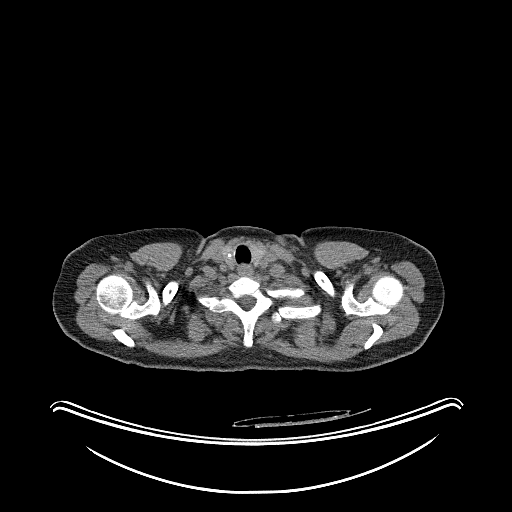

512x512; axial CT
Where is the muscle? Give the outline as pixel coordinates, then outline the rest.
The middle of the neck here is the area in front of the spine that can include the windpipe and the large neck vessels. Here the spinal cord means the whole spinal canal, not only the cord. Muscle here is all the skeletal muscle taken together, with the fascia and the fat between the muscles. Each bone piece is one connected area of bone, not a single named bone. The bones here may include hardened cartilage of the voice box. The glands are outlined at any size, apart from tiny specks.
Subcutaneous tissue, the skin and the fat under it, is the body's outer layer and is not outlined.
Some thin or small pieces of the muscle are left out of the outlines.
The muscle is outlined by (239, 235) (304, 254) (319, 241) (349, 241) (385, 252) (387, 263) (412, 262) (425, 280) (416, 330) (374, 345) (384, 330) (372, 321) (364, 350) (330, 363) (252, 347) (275, 300) (306, 292) (262, 287) (250, 276) (278, 259) (243, 239) (213, 258) (239, 276) (227, 292) (195, 298) (213, 313) (234, 314) (246, 348) (173, 358) (137, 347) (124, 327) (110, 331) (119, 342) (89, 336) (74, 319) (73, 297) (88, 264) (163, 241) (195, 258) (209, 241), around holes outlined by (108, 274) (122, 276) (130, 284) (133, 299) (139, 305) (148, 299) (145, 287) (147, 280) (151, 282) (160, 298) (163, 288) (169, 281) (177, 280) (178, 288) (172, 299) (166, 305) (162, 305) (156, 315) (148, 314) (130, 319) (109, 314) (97, 303) (96, 285) (101, 278) and by (386, 274) (394, 275) (405, 286) (404, 294) (397, 305) (385, 314) (376, 314) (371, 316) (358, 316) (354, 314) (346, 315) (341, 305) (341, 296) (343, 294) (346, 281) (352, 279) (354, 280) (352, 291) (353, 295) (357, 301) (364, 302) (371, 294) (374, 283) (381, 276) and by (314, 304) (319, 304) (321, 306) (321, 311) (314, 317) (311, 317) (310, 318) (295, 318) (294, 319) (291, 319) (290, 318) (282, 318) (281, 320) (277, 323) (272, 322) (270, 318) (271, 313) (276, 309) (277, 306) (284, 306) (285, 305) (293, 305) (294, 306) (310, 306) and by (317, 269) (318, 269) (319, 270) (321, 270) (328, 277) (328, 278) (332, 283) (332, 284) (334, 287) (334, 289) (335, 290) (335, 295) (333, 297) (332, 296) (329, 295) (317, 283) (317, 282) (315, 280) (315, 279) (313, 276) (313, 272) (315, 270) (316, 270). The middle of the neck is outlined by (243, 240) (250, 243) (250, 253) (255, 267) (260, 265) (265, 254) (268, 254) (277, 260) (268, 265) (262, 271) (258, 271) (249, 276) (240, 276) (234, 273) (226, 273) (222, 271) (214, 261) (216, 254) (220, 254) (227, 267) (233, 270) (234, 257) (231, 246) (236, 242). The spinal cord is outlined by (245, 295) (247, 295) (248, 296) (251, 296) (252, 297) (253, 297) (255, 299) (255, 303) (249, 309) (248, 309) (247, 310) (246, 310) (245, 309) (242, 308) (240, 306) (240, 305) (238, 303) (238, 302) (237, 301) (237, 299) (238, 299) (239, 298) (240, 298). The torso is outlined by (230, 226) (255, 226) (296, 235) (316, 226) (367, 228) (364, 275) (374, 298) (394, 310) (437, 323) (425, 342) (413, 353) (376, 367) (350, 372) (314, 369) (221, 372) (148, 368) (126, 364) (86, 349) (82, 347) (130, 305) (137, 273) (130, 231) (184, 227) (207, 236). The left arm is outlined by (367, 229) (386, 230) (387, 231) (399, 233) (421, 244) (432, 253) (435, 258) (444, 286) (444, 303) (443, 304) (443, 309) (438, 321) (434, 321) (427, 318) (424, 318) (417, 315) (414, 315) (407, 312) (394, 309) (380, 302) (375, 298) (365, 275) (366, 247) (367, 246). The bones appear in 7 outlined pieces: piece 1: (241, 276) (252, 278) (259, 282) (262, 288) (301, 288) (305, 292) (305, 294) (296, 298) (274, 300) (274, 304) (261, 314) (255, 323) (251, 347) (244, 346) (243, 325) (234, 313) (231, 311) (213, 312) (196, 298) (197, 296) (204, 295) (222, 296) (228, 292) (228, 285); inner edge: (245, 295) (247, 295) (248, 296) (251, 296) (252, 297) (253, 297) (255, 299) (255, 303) (249, 309) (248, 309) (247, 310) (246, 310) (245, 309) (242, 308) (240, 306) (240, 305) (238, 303) (238, 302) (237, 301) (237, 299) (238, 299) (239, 298) (240, 298); piece 2: (108, 274) (122, 276) (130, 284) (133, 299) (139, 305) (148, 299) (145, 287) (147, 280) (151, 282) (160, 298) (163, 288) (169, 281) (177, 280) (178, 288) (172, 299) (166, 305) (162, 305) (156, 315) (148, 314) (130, 319) (109, 314) (97, 303) (96, 285) (101, 278); piece 3: (386, 274) (394, 275) (405, 286) (404, 294) (397, 305) (385, 314) (376, 314) (371, 316) (358, 316) (354, 314) (346, 315) (341, 305) (341, 296) (343, 294) (346, 281) (352, 279) (354, 280) (352, 291) (353, 295) (357, 301) (364, 302) (371, 294) (374, 283) (381, 276); piece 4: (314, 304) (319, 304) (321, 306) (321, 311) (314, 317) (311, 317) (310, 318) (295, 318) (294, 319) (291, 319) (290, 318) (282, 318) (281, 320) (277, 323) (272, 322) (270, 318) (271, 313) (276, 309) (277, 306) (284, 306) (285, 305) (293, 305) (294, 306) (310, 306); piece 5: (317, 269) (318, 269) (319, 270) (321, 270) (328, 277) (328, 278) (332, 283) (332, 284) (334, 287) (334, 289) (335, 290) (335, 295) (333, 297) (332, 296) (329, 295) (317, 283) (317, 282) (315, 280) (315, 279) (313, 276) (313, 272) (315, 270) (316, 270); piece 6: (116, 328) (124, 328) (125, 329) (125, 331) (133, 339) (133, 340) (135, 343) (135, 346) (134, 347) (129, 347) (128, 346) (125, 345) (123, 343) (122, 343) (121, 342) (118, 341) (118, 340) (111, 333) (111, 331) (113, 329) (115, 329); piece 7: (372, 322) (374, 322) (378, 325) (379, 325) (382, 328) (383, 330) (383, 332) (381, 336) (375, 341) (373, 345) (368, 349) (366, 349) (365, 350) (363, 348) (363, 345) (365, 341) (367, 339) (367, 338) (373, 331) (373, 328) (371, 324). The thyroid glands appear in 2 outlined pieces: piece 1: (226, 245) (229, 245) (231, 247) (231, 249) (232, 250) (232, 256) (233, 257) (233, 269) (231, 269) (228, 267) (228, 266) (224, 261) (224, 260) (223, 259) (223, 258) (222, 257) (222, 256) (220, 253) (220, 251) (221, 250) (221, 249) (224, 246) (225, 246); piece 2: (251, 244) (253, 244) (254, 245) (256, 245) (265, 253) (264, 254) (263, 257) (261, 259) (261, 261) (260, 262) (259, 265) (258, 265) (257, 266) (255, 266) (254, 265) (254, 263) (253, 262) (253, 258) (252, 257) (252, 254) (251, 253) (251, 249) (250, 248) (250, 245). The right arm is outlined by (128, 231) (129, 231) (132, 251) (136, 267) (136, 273) (135, 274) (135, 278) (129, 305) (94, 338) (81, 346) (68, 337) (62, 331) (54, 316) (52, 309) (53, 289) (58, 278) (62, 262) (66, 255) (70, 251) (92, 237) (104, 234) (114, 234) (115, 233) (122, 233).